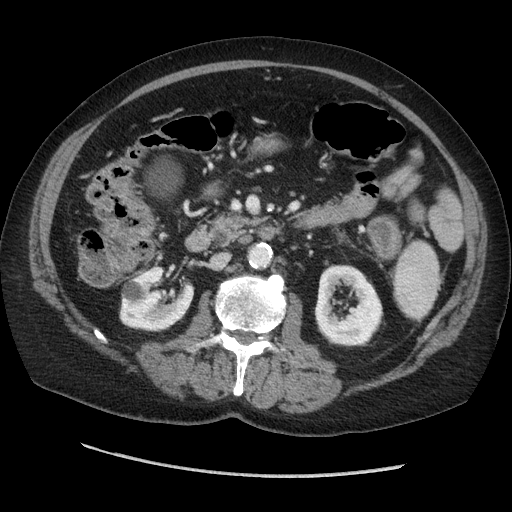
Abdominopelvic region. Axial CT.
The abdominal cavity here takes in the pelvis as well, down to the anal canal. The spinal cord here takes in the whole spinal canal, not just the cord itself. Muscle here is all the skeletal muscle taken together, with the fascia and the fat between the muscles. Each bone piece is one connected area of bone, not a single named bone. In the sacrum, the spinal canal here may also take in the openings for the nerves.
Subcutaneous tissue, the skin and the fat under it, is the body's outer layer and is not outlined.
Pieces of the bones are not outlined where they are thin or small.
Outlined structures:
muscle: 237,59 327,67 381,88 419,116 439,138 474,185 487,223 486,260 480,291 457,339 433,353 423,365 406,376 299,415 264,412 253,407 242,395 250,358 261,355 265,350 274,354 285,351 282,345 270,340 269,334 285,316 286,292 295,293 302,303 301,338 316,345 324,359 337,365 335,375 343,381 369,380 404,360 420,336 423,340 430,336 436,325 432,320 452,295 466,259 464,203 452,168 423,131 385,100 360,86 320,71 273,65 184,78 146,92 110,113 85,140 63,180 53,212 49,249 65,293 94,326 92,332 95,337 103,344 107,344 109,338 136,347 148,340 164,342 175,338 190,324 201,294 210,290 213,293 213,312 220,329 183,348 194,353 219,345 234,354 235,381 230,397 211,402 180,401 164,394 148,379 125,372 82,344 35,294 32,284 28,230 33,200 42,175 61,143 74,131 154,79 193,66
torso: 253,35 332,43 391,65 433,95 485,158 505,209 511,272 497,340 464,403 378,430 294,436 260,429 234,417 196,425 131,419 49,391 32,381 6,313 0,238 13,191 37,148 85,98 130,67 184,46
abdominal cavity: 270,66 324,73 385,101 429,138 459,189 461,276 404,359 369,379 341,379 302,338 302,300 284,293 280,273 222,280 214,294 200,294 182,333 136,346 107,337 78,310 52,257 64,180 110,114 184,79
bones 1: 273,273 280,274 284,280 287,303 281,322 268,335 284,351 274,353 265,349 261,354 252,355 245,368 243,392 234,395 237,363 232,351 219,344 194,352 184,348 220,331 214,295 222,281 243,274 265,278 with a hole at 235,330 242,330 243,331 251,331 252,332 255,333 257,335 257,340 256,340 255,341 253,341 252,342 251,342 248,344 242,344 240,342 239,342 234,337 231,336 230,333 231,332 232,332
bones 2: 95,327 96,328 97,328 106,337 106,338 107,339 107,343 103,343 99,339 98,339 96,337 96,336 94,334 94,333 93,332 93,329
bones 3: 431,322 435,322 435,325 434,326 434,327 433,328 433,329 432,329 431,330 431,333 429,335 429,336 426,339 423,339 422,338 422,334 425,331 425,330 426,329 426,328 428,326 428,325
spinal cord: 235,330 242,330 243,331 251,331 252,332 255,333 257,335 257,340 256,340 255,341 253,341 252,342 251,342 248,344 242,344 240,342 239,342 234,337 231,336 230,333 231,332 232,332